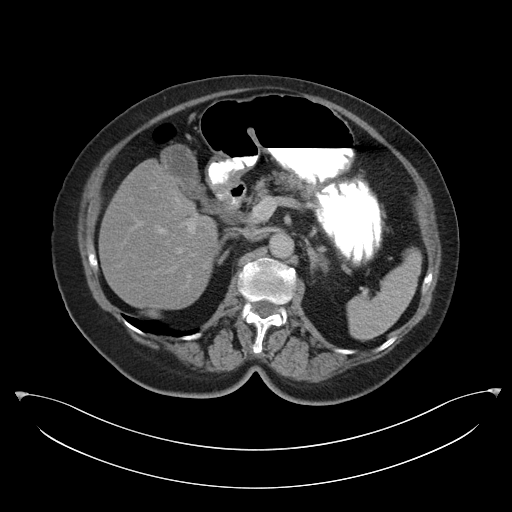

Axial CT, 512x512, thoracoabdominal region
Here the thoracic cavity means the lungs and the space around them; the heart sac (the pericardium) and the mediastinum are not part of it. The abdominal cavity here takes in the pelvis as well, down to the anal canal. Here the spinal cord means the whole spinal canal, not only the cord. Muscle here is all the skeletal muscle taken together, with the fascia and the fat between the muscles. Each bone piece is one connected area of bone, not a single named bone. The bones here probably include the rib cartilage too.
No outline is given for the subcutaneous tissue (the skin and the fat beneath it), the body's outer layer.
{"thoracic_cavity":[[[122,314],[139,320],[143,320],[144,321],[150,321],[152,320],[153,321],[158,322],[160,324],[172,330],[186,331],[187,330],[197,329],[198,331],[190,334],[181,335],[178,337],[145,332],[143,330],[130,323],[122,316]]],"torso":[[[244,73],[314,81],[384,111],[426,147],[453,201],[459,261],[452,298],[438,332],[383,385],[348,401],[295,403],[274,393],[257,372],[218,397],[176,397],[146,389],[120,373],[82,335],[54,278],[52,208],[66,173],[86,143],[130,105],[165,87]]],"muscle":[{"outer":[[264,85],[281,86],[289,88],[296,92],[303,92],[307,94],[322,97],[344,107],[367,122],[390,144],[399,151],[415,168],[419,175],[425,182],[431,194],[433,200],[433,204],[435,208],[437,228],[439,232],[439,238],[441,243],[441,263],[439,268],[439,275],[436,283],[436,286],[432,294],[432,300],[430,303],[430,308],[429,309],[430,311],[402,338],[399,343],[385,355],[375,360],[354,366],[340,374],[338,374],[327,380],[318,383],[298,382],[291,380],[287,377],[280,376],[265,363],[256,358],[246,360],[237,368],[231,371],[223,371],[219,373],[198,373],[195,371],[190,370],[180,363],[179,361],[175,359],[168,357],[159,352],[146,348],[144,345],[134,341],[116,319],[109,312],[101,308],[93,298],[92,294],[87,285],[81,261],[81,257],[78,248],[78,243],[77,242],[77,221],[78,220],[78,212],[79,211],[79,205],[82,196],[82,192],[85,183],[91,172],[98,164],[103,155],[110,148],[152,117],[160,112],[177,104],[220,90],[227,90],[228,89],[233,89],[240,87],[263,86]],"hole":[[260,90],[305,97],[339,112],[385,146],[413,182],[425,273],[430,271],[432,278],[412,315],[389,334],[396,339],[380,351],[372,347],[351,354],[335,352],[338,347],[304,312],[305,285],[299,277],[284,305],[287,322],[267,329],[259,353],[252,349],[256,328],[240,315],[245,299],[236,276],[198,330],[199,338],[141,335],[124,324],[89,263],[88,246],[95,251],[101,187],[118,153],[137,135],[180,111],[222,96]]}],"abdominal_cavity":[[[260,90],[305,97],[339,112],[385,146],[413,182],[426,271],[414,312],[376,347],[339,347],[327,340],[304,312],[303,280],[292,266],[269,256],[242,266],[199,329],[172,329],[121,313],[104,292],[95,232],[101,187],[118,153],[137,135],[180,111]]],"spinal_cord":[[[262,300],[265,300],[266,301],[268,301],[276,305],[277,306],[277,312],[275,313],[273,313],[272,314],[270,314],[266,317],[261,317],[257,313],[252,311],[251,309],[252,308],[252,303],[254,302],[257,302],[258,301],[261,301]]],"bones":[{"outer":[[260,257],[269,257],[292,267],[296,273],[296,283],[291,299],[284,305],[287,322],[280,326],[271,325],[265,332],[261,351],[254,353],[252,345],[256,337],[256,328],[252,323],[247,323],[240,315],[245,299],[238,290],[237,276],[238,272],[246,263]],"hole":[[262,300],[265,300],[266,301],[268,301],[276,305],[277,306],[277,312],[275,313],[273,313],[272,314],[270,314],[266,317],[261,317],[257,313],[252,311],[251,309],[252,308],[252,303],[254,302],[257,302],[258,301],[261,301]]},[[88,246],[89,246],[89,247],[90,248],[90,249],[93,252],[94,252],[95,253],[95,255],[96,256],[96,258],[97,259],[97,266],[98,267],[98,270],[97,271],[97,272],[96,272],[91,267],[91,266],[89,263],[89,261],[88,260]],[[429,271],[430,271],[432,274],[432,278],[431,279],[431,281],[430,282],[430,284],[429,285],[427,290],[425,292],[425,293],[422,294],[421,293],[421,288],[422,287],[422,283],[423,282],[423,280],[424,279],[424,277],[425,276],[425,275]],[[392,336],[396,336],[397,337],[396,338],[396,339],[391,344],[390,344],[387,347],[386,347],[384,349],[383,349],[380,351],[378,351],[377,352],[376,352],[375,351],[375,349],[378,346],[379,346],[382,343],[383,343],[388,338],[389,338]],[[338,347],[339,348],[346,348],[347,349],[356,349],[357,350],[356,351],[356,352],[355,352],[354,353],[352,353],[351,354],[342,354],[341,353],[337,353],[336,352],[335,352],[333,350],[333,349],[334,348],[337,348]],[[123,318],[125,319],[130,324],[131,324],[133,326],[143,331],[145,333],[145,335],[141,335],[137,333],[135,331],[127,327],[124,324],[123,322]],[[197,332],[200,332],[201,333],[201,336],[199,338],[198,338],[197,339],[190,339],[189,340],[185,340],[184,339],[180,339],[179,338],[179,337],[180,337],[181,336],[184,336],[185,335],[190,335],[191,334],[193,334],[194,333],[196,333]]]}